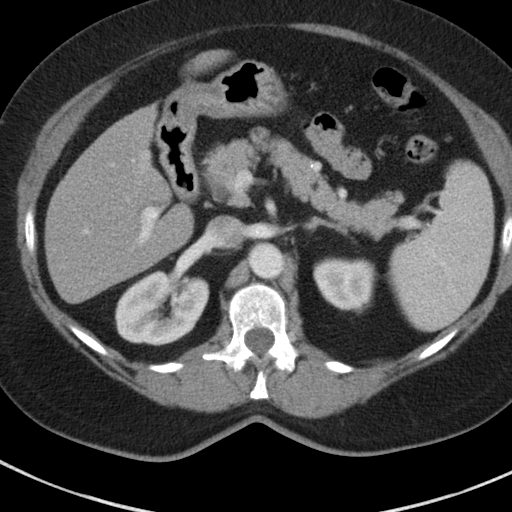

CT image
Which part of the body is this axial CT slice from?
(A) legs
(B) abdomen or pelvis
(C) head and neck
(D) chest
Answer: (B) abdomen or pelvis
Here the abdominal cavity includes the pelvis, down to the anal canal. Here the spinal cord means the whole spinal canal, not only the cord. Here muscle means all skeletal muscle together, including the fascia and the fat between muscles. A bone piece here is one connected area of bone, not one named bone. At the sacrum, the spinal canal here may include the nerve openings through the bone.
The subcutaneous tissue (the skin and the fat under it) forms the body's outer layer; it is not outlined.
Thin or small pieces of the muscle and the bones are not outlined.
The spinal cord is outlined by 256 327; 258 328; 266 328; 270 330; 273 334; 273 337; 274 338; 273 339; 273 343; 271 345; 271 346; 262 355; 258 355; 256 353; 255 353; 252 350; 251 350; 246 345; 245 343; 245 334; 248 331. The torso is outlined by 144 0; 406 0; 461 26; 488 45; 511 66; 510 404; 486 422; 457 436; 381 455; 343 456; 323 452; 255 422; 189 456; 172 461; 150 462; 105 452; 51 432; 30 419; 7 397; 0 388; 0 114; 22 80; 60 43; 94 21. The abdominal cavity is outlined by 256 27; 390 54; 465 120; 503 201; 499 258; 481 301; 431 341; 357 366; 332 359; 308 342; 294 292; 286 305; 275 288; 252 281; 231 295; 227 312; 221 305; 207 340; 148 363; 100 341; 48 293; 38 199; 86 114; 140 64. The bones appear in 6 outlined pieces: piece 1: 252 282; 268 285; 281 295; 286 306; 286 332; 301 352; 291 372; 274 367; 272 358; 265 363; 262 368; 268 397; 261 399; 249 396; 258 369; 250 359; 234 371; 221 360; 202 358; 204 352; 220 350; 231 340; 229 301; 238 289 with a hole at 256 327; 258 328; 266 328; 270 330; 273 334; 273 337; 274 338; 273 339; 273 343; 271 345; 271 346; 262 355; 258 355; 256 353; 255 353; 252 350; 251 350; 246 345; 245 343; 245 334; 248 331; piece 2: 29 206; 32 206; 32 208; 33 209; 33 217; 34 218; 34 224; 35 225; 35 241; 34 242; 35 248; 34 249; 33 253; 31 253; 27 249; 27 247; 26 246; 26 241; 25 240; 25 231; 24 230; 24 221; 25 220; 25 214; piece 3: 69 324; 72 324; 78 327; 80 329; 81 329; 83 331; 93 337; 106 349; 109 354; 108 355; 103 355; 102 354; 100 354; 96 351; 93 350; 88 346; 87 346; 74 334; 74 333; 70 329; 69 327; piece 4: 456 327; 458 328; 458 331; 455 334; 455 335; 442 348; 441 348; 435 353; 423 359; 421 359; 420 360; 418 360; 416 359; 416 357; 428 345; 429 345; 432 342; 441 338; 444 335; 447 334; 450 331; 451 331; 454 328; piece 5: 169 361; 175 361; 176 362; 181 362; 184 364; 184 366; 181 369; 175 372; 166 372; 165 373; 162 373; 161 372; 158 372; 157 371; 154 371; 153 370; 151 370; 147 367; 148 364; 150 364; 151 363; 163 363; 164 362; 168 362; piece 6: 510 214; 511 214; 511 245; 508 250; 508 252; 507 253; 504 254; 502 252; 502 251; 501 250; 501 246; 500 245; 501 244; 501 235; 502 234; 502 229; 503 228; 503 225; 504 224; 504 223; 505 222; 505 221; 506 220; 507 217. The muscle is outlined by 270 22; 331 24; 397 47; 497 120; 511 143; 511 213; 503 224; 502 194; 466 120; 448 97; 413 66; 390 53; 341 37; 286 26; 256 26; 188 41; 121 75; 89 109; 65 143; 41 188; 35 224; 33 206; 27 207; 24 240; 31 254; 36 240; 39 273; 52 301; 100 342; 129 360; 147 363; 146 367; 154 372; 181 370; 185 364; 174 360; 214 334; 224 305; 231 326; 230 340; 220 349; 204 351; 201 358; 221 361; 234 372; 242 370; 250 360; 257 369; 248 394; 253 400; 269 397; 263 368; 266 363; 272 359; 274 368; 291 373; 302 353; 287 332; 288 293; 294 293; 298 299; 307 342; 331 358; 323 365; 339 374; 349 373; 362 362; 403 356; 450 328; 486 296; 496 275; 500 250; 505 255; 511 246; 511 286; 498 297; 485 321; 457 351; 391 384; 366 403; 324 418; 298 417; 260 401; 221 412; 199 413; 169 408; 150 400; 107 375; 53 327; 31 296; 16 245; 18 177; 43 124; 64 102; 157 44; 216 27; inner edges: 69 324; 72 324; 78 327; 80 329; 81 329; 83 331; 93 337; 106 349; 109 354; 108 355; 103 355; 102 354; 100 354; 96 351; 93 350; 88 346; 87 346; 74 334; 74 333; 70 329; 69 327, then 456 327; 458 328; 458 331; 455 334; 455 335; 442 348; 441 348; 435 353; 423 359; 421 359; 420 360; 418 360; 416 359; 416 357; 428 345; 429 345; 432 342; 441 338; 444 335; 447 334; 450 331; 451 331; 454 328.